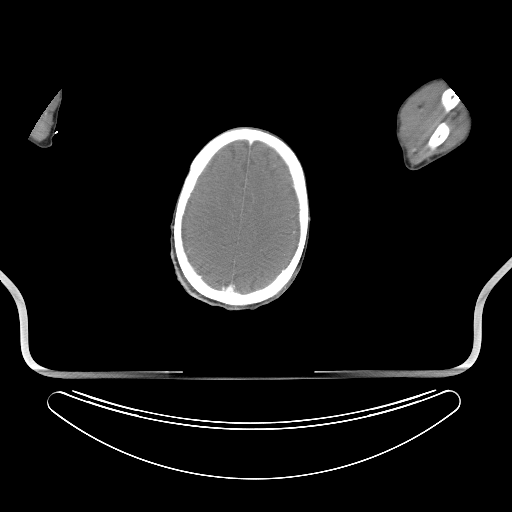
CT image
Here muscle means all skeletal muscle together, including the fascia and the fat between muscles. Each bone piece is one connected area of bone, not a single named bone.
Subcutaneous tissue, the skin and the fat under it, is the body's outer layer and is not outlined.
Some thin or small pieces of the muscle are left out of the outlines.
The muscle appears in 3 outlined pieces: piece 1: 436 81; 443 83; 447 87; 441 93; 439 99; 440 103; 446 113; 448 113; 458 104; 461 103; 468 120; 467 131; 464 137; 451 148; 435 154; 419 163; 412 164; 408 159; 407 151; 400 135; 400 114; 406 102; 416 92; 426 85; inner edge: 441 122; 446 122; 446 123; 449 126; 450 128; 450 131; 449 132; 449 134; 444 140; 444 141; 442 142; 439 145; 438 145; 435 148; 432 149; 430 148; 427 145; 427 142; 430 136; 434 131; 434 130; piece 2: 56 94; 57 104; 56 105; 56 107; 53 111; 53 115; 52 116; 52 124; 50 128; 49 134; 44 140; 42 141; 36 141; 32 138; 30 134; 32 131; 32 128; 34 127; 34 124; 36 123; 38 118; 40 117; 41 114; piece 3: 183 277; 185 279; 185 280; 190 285; 190 286; 193 289; 192 289; 186 283; 186 282; 184 280; 184 279; 183 278. The brain is outlined by 242 140; 246 141; 249 145; 256 141; 265 144; 273 149; 284 162; 289 172; 297 201; 298 221; 297 243; 287 264; 267 284; 247 292; 235 290; 232 284; 216 288; 207 283; 190 262; 182 235; 183 217; 198 178; 219 150; 232 142. The right arm is outlined by 61 89; 62 89; 62 100; 58 113; 58 119; 56 125; 57 132; 53 136; 52 145; 50 147; 40 148; 29 142; 28 137; 30 135; 32 131; 32 128; 34 127; 34 124; 36 123; 38 118; 40 117; 48 104; 50 103; 59 90. The head is outlined by 236 126; 251 126; 267 130; 279 136; 292 148; 299 158; 305 173; 311 214; 307 252; 303 266; 295 281; 279 299; 253 311; 227 311; 207 305; 190 296; 176 278; 169 253; 169 223; 176 198; 190 162; 202 146; 211 138; 224 130. The left arm is outlined by 436 77; 442 78; 447 83; 449 87; 454 90; 470 113; 473 120; 473 125; 471 133; 467 140; 463 144; 443 157; 418 170; 409 170; 405 167; 403 163; 402 152; 396 140; 396 136; 395 135; 396 112; 402 101; 414 89; 424 82. The bones appear in 3 outlined pieces: piece 1: 238 126; 250 126; 271 132; 279 136; 295 152; 305 174; 309 202; 309 223; 301 257; 290 279; 284 286; 275 295; 265 300; 242 306; 233 306; 201 295; 186 280; 175 256; 172 226; 178 194; 190 162; 202 146; 211 138; 224 130, around a hole outlined by 242 140; 246 141; 249 145; 256 141; 265 144; 273 149; 284 162; 289 172; 297 201; 298 221; 297 243; 287 264; 267 284; 247 292; 235 290; 232 284; 216 288; 207 283; 190 262; 182 235; 183 217; 198 178; 219 150; 232 142; piece 2: 441 122; 446 122; 446 123; 449 126; 450 128; 450 131; 449 132; 449 134; 444 140; 444 141; 442 142; 439 145; 438 145; 435 148; 432 149; 430 148; 427 145; 427 142; 430 136; 434 131; 434 130; piece 3: 448 87; 449 87; 450 88; 451 88; 453 90; 454 90; 454 91; 459 96; 459 98; 461 100; 461 102; 458 103; 448 112; 446 112; 445 111; 445 110; 441 103; 441 101; 440 100; 440 99; 441 98; 441 95; 442 94; 442 93.